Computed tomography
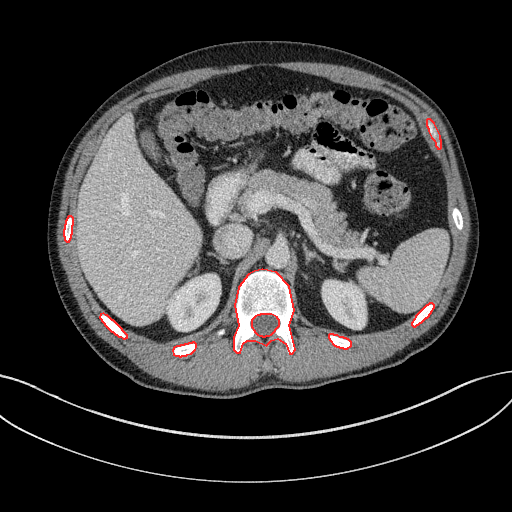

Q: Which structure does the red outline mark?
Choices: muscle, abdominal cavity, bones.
A: red: bones.
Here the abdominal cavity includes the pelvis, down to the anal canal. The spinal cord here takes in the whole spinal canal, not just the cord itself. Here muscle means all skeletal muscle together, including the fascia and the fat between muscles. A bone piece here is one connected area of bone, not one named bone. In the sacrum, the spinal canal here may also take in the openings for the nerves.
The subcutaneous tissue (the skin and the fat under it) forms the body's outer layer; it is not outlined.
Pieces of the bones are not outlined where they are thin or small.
{"bones":[{"outer":[[289,353],[292,353],[295,349],[289,325],[294,310],[289,286],[276,272],[262,269],[254,271],[248,274],[238,287],[234,305],[238,325],[233,337],[233,349],[236,352],[240,352],[243,343],[247,340],[255,340],[266,345],[271,340],[277,338],[285,343]],"hole":[[262,336],[265,336],[266,335],[269,335],[271,334],[279,325],[279,320],[277,318],[277,317],[271,314],[260,314],[259,315],[257,315],[255,316],[251,320],[251,326],[254,330],[254,331],[257,334],[259,335],[261,335]]},[[123,338],[125,338],[126,337],[127,337],[127,335],[122,330],[122,329],[113,320],[112,320],[107,315],[106,315],[103,313],[100,314],[99,317],[101,319],[101,320],[104,323],[104,324],[111,331],[112,331],[115,334],[116,334],[118,336],[120,336]],[[437,148],[440,148],[441,147],[441,140],[440,139],[440,135],[434,123],[430,119],[427,119],[426,120],[426,125],[428,128],[428,131],[431,137],[434,140],[435,142],[435,145],[437,147]],[[179,356],[181,356],[182,355],[186,355],[187,354],[191,353],[195,349],[196,347],[196,344],[194,342],[192,342],[191,343],[188,343],[187,344],[184,344],[183,345],[180,345],[179,346],[176,346],[174,347],[172,350],[173,354],[175,355],[178,355]],[[413,326],[415,326],[417,324],[418,324],[420,322],[421,322],[426,317],[427,317],[429,315],[429,314],[431,312],[431,311],[434,307],[434,305],[432,303],[429,303],[427,305],[426,305],[415,316],[414,319],[411,323],[411,324]],[[343,348],[347,348],[351,345],[351,342],[348,339],[347,339],[346,338],[344,338],[343,337],[340,337],[337,335],[334,335],[333,334],[329,334],[328,335],[328,337],[329,338],[329,339],[334,345],[335,345],[336,346],[338,346],[339,347],[342,347]],[[66,241],[69,241],[69,240],[71,237],[71,234],[72,233],[72,225],[73,224],[73,218],[71,216],[68,216],[67,217],[67,218],[65,221],[65,224],[64,225],[64,229],[63,230],[63,235],[64,236],[64,239]]],"torso":[[[208,398],[235,398],[270,388],[314,388],[390,368],[432,344],[454,318],[478,252],[475,197],[447,116],[395,71],[354,53],[310,42],[212,44],[175,56],[124,84],[98,106],[68,144],[52,185],[46,235],[52,276],[67,314],[90,347],[134,382]]],"spinal_cord":[[[262,336],[265,336],[266,335],[269,335],[271,334],[279,325],[279,320],[277,318],[277,317],[271,314],[260,314],[259,315],[257,315],[255,316],[251,320],[251,326],[254,330],[254,331],[257,334],[259,335],[261,335]]],"muscle":[{"outer":[[211,391],[224,391],[231,388],[241,388],[249,385],[252,382],[256,381],[257,379],[266,374],[273,374],[285,381],[300,382],[322,377],[329,377],[369,366],[393,355],[397,351],[402,349],[411,342],[412,340],[426,332],[444,314],[456,289],[457,282],[466,260],[466,249],[470,233],[470,218],[454,150],[446,127],[433,108],[419,97],[408,90],[394,83],[377,77],[373,74],[370,74],[355,68],[329,63],[302,62],[301,61],[297,62],[273,62],[272,63],[270,62],[260,62],[251,64],[235,64],[223,67],[218,67],[217,66],[205,67],[204,68],[197,68],[182,72],[178,72],[168,76],[165,76],[151,82],[141,89],[130,94],[109,108],[96,121],[82,138],[73,154],[65,175],[65,180],[62,189],[61,203],[58,216],[58,223],[57,224],[57,244],[58,245],[58,252],[60,261],[67,275],[67,279],[70,288],[78,303],[79,308],[82,312],[84,318],[98,336],[111,346],[117,349],[138,367],[150,375],[154,377],[157,377],[164,381],[168,381],[178,385],[204,390],[210,390]],"holes":[[[179,356],[214,333],[224,334],[234,315],[234,351],[247,340],[266,345],[277,338],[289,353],[295,349],[289,325],[295,309],[307,325],[331,331],[331,342],[343,348],[351,345],[347,337],[394,329],[412,318],[415,326],[429,315],[453,233],[441,165],[409,108],[383,92],[262,66],[150,98],[110,125],[82,177],[64,239],[74,236],[80,269],[104,311],[99,316],[104,324],[123,338],[123,328],[146,341],[173,344]],[[437,148],[440,148],[441,147],[441,140],[440,139],[440,135],[434,123],[430,119],[427,119],[426,120],[426,125],[428,128],[428,131],[431,137],[434,140],[435,142],[435,145],[437,147]],[[459,230],[461,230],[463,227],[463,219],[462,218],[462,215],[461,214],[461,213],[460,212],[459,209],[457,207],[456,207],[455,206],[452,208],[452,217],[453,218],[453,221],[454,222],[454,224],[455,225],[455,226],[457,228],[457,229],[458,229]]]}],"abdominal_cavity":[[[174,345],[197,343],[225,327],[234,315],[240,281],[262,268],[288,283],[307,325],[344,337],[394,329],[431,302],[449,262],[453,233],[444,174],[413,112],[383,92],[262,66],[214,76],[122,113],[79,185],[72,234],[76,255],[104,313],[146,341]]]}